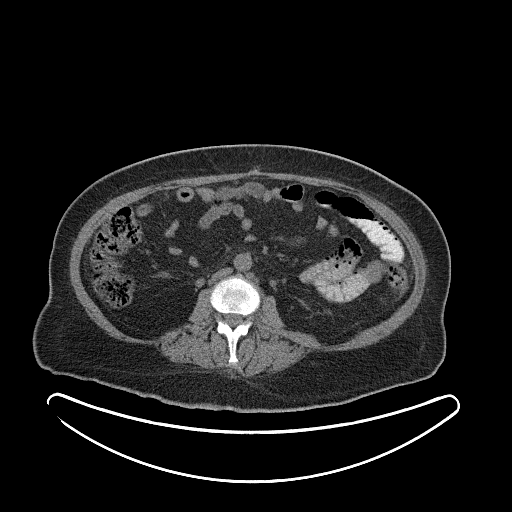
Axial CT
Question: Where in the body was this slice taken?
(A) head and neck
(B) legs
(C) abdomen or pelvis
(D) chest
Answer: (C) abdomen or pelvis
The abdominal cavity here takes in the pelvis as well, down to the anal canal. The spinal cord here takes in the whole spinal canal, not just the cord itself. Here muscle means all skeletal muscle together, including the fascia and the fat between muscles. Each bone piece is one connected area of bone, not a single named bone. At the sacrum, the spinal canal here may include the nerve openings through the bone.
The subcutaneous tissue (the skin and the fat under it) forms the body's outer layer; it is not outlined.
torso: 252 143; 300 146; 350 159; 409 189; 428 205; 442 227; 451 258; 444 310; 446 352; 436 372; 426 379; 339 405; 240 413; 171 405; 41 368; 33 355; 32 332; 48 297; 48 260; 54 233; 72 200; 96 179; 133 162; 191 148
muscle: 251 171; 294 173; 306 176; 316 176; 317 177; 331 178; 334 180; 345 183; 348 185; 351 185; 363 190; 387 205; 401 217; 413 232; 421 245; 421 248; 426 259; 427 274; 421 301; 412 315; 399 327; 387 337; 383 338; 373 344; 364 347; 349 349; 348 350; 338 350; 337 351; 328 351; 327 352; 314 351; 309 353; 304 358; 282 371; 277 372; 271 375; 264 375; 263 376; 247 378; 240 375; 237 375; 233 373; 231 370; 219 370; 218 371; 214 370; 211 372; 200 372; 195 369; 192 369; 190 367; 186 367; 184 365; 179 365; 170 361; 165 356; 163 356; 153 346; 140 344; 139 343; 126 342; 108 335; 102 328; 98 326; 88 316; 83 306; 76 297; 75 292; 71 284; 69 276; 69 261; 71 255; 71 249; 74 240; 76 238; 81 227; 97 209; 104 205; 109 199; 111 199; 118 195; 137 189; 140 187; 147 186; 151 184; 167 180; 176 179; 181 177; 195 177; 203 175; 216 175; 222 173; 237 173; 238 172; 250 172, around a hole outlined by 250 176; 360 198; 408 250; 414 281; 405 301; 378 323; 322 343; 287 329; 274 296; 260 289; 235 364; 216 330; 220 314; 210 302; 212 287; 200 290; 187 322; 156 338; 114 325; 81 277; 82 253; 94 231; 156 191
spinal cord: 226 314; 238 314; 239 315; 241 315; 244 318; 243 319; 243 322; 242 323; 240 323; 239 324; 238 324; 236 326; 235 326; 234 327; 231 327; 227 323; 226 323; 224 321; 224 320; 223 319; 223 318; 224 317; 223 316
bones: 239 274; 252 282; 258 288; 260 303; 258 308; 250 316; 252 324; 247 334; 241 336; 237 341; 237 362; 232 364; 228 360; 229 350; 227 339; 223 334; 216 330; 217 319; 220 314; 212 306; 210 302; 210 294; 217 282; 223 278; inner edge: 226 314; 238 314; 239 315; 241 315; 244 318; 243 319; 243 322; 242 323; 240 323; 239 324; 238 324; 236 326; 235 326; 234 327; 231 327; 227 323; 226 323; 224 321; 224 320; 223 319; 223 318; 224 317; 223 316
abdominal cavity: 250 176; 327 186; 360 198; 408 250; 414 281; 405 301; 378 323; 359 327; 342 341; 322 343; 310 333; 287 329; 274 296; 239 273; 201 289; 187 322; 156 338; 136 337; 114 325; 81 277; 82 253; 94 231; 121 208; 156 191